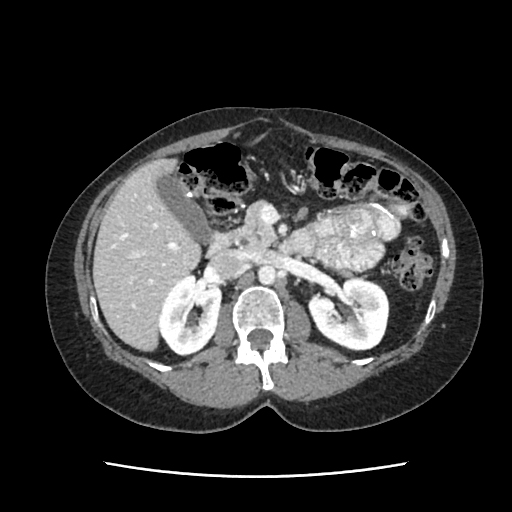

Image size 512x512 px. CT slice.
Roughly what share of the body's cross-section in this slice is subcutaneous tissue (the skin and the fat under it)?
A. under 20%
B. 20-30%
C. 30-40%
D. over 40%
Answer: B. 20-30%
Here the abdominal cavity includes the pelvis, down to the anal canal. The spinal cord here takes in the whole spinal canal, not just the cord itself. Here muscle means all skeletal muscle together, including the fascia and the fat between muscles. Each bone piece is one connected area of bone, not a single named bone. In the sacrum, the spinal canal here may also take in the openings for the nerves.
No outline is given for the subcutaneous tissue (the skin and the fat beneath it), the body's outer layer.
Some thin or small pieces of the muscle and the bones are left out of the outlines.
{"torso":[[[194,434],[227,430],[266,406],[306,431],[366,428],[417,408],[450,382],[479,330],[483,257],[469,212],[433,168],[374,128],[341,114],[304,107],[229,106],[200,111],[159,129],[84,188],[63,216],[45,266],[54,344],[74,380],[102,406],[139,425]]],"spinal_cord":[[[258,348],[264,348],[266,346],[267,346],[268,341],[271,338],[271,333],[270,332],[266,330],[263,330],[262,329],[256,329],[252,331],[249,334],[248,336],[248,338],[249,340],[252,342],[252,344],[253,345],[254,345]]],"abdominal_cavity":[[[161,363],[184,360],[213,345],[221,306],[258,284],[303,306],[311,343],[352,358],[403,344],[423,320],[440,267],[439,240],[418,193],[382,162],[312,143],[270,123],[246,126],[198,150],[142,168],[106,210],[93,241],[89,274],[110,337],[127,351]]],"muscle":[{"outer":[[218,409],[227,409],[233,407],[243,406],[258,397],[261,393],[272,393],[282,399],[288,401],[297,401],[298,402],[299,401],[314,400],[333,396],[342,393],[344,391],[356,386],[369,377],[376,375],[389,367],[407,360],[422,348],[425,339],[434,328],[434,326],[443,310],[445,303],[448,298],[448,294],[454,279],[454,272],[456,265],[456,248],[452,228],[450,224],[450,220],[446,210],[446,207],[440,195],[427,180],[419,173],[415,171],[408,164],[391,154],[375,147],[368,146],[356,141],[352,141],[332,135],[311,132],[309,130],[304,129],[281,118],[276,118],[269,116],[261,116],[238,123],[232,126],[195,134],[174,141],[165,146],[160,147],[150,153],[146,154],[143,157],[129,165],[128,167],[100,190],[91,204],[82,223],[76,242],[75,252],[74,253],[74,262],[73,263],[74,276],[75,277],[75,282],[80,307],[83,314],[90,323],[94,336],[101,344],[105,355],[110,360],[116,362],[126,368],[137,372],[150,382],[175,396],[183,402],[195,406],[202,406],[203,407],[217,408]],"holes":[[[264,390],[273,388],[269,365],[287,362],[284,308],[276,291],[303,306],[311,329],[307,341],[339,350],[353,359],[352,364],[362,366],[406,342],[422,322],[426,325],[432,319],[437,305],[430,298],[440,267],[439,240],[418,193],[405,177],[369,156],[312,143],[270,123],[246,126],[139,170],[122,186],[100,222],[89,274],[94,322],[160,372],[172,369],[166,363],[213,345],[221,306],[235,299],[234,361],[254,364]],[[444,259],[447,259],[449,257],[449,249],[448,248],[448,245],[447,244],[447,240],[446,239],[446,238],[445,237],[443,237],[441,239],[441,255],[442,256],[442,257]]]}],"bones":[{"outer":[[264,390],[273,388],[273,382],[268,371],[269,365],[276,362],[287,362],[284,340],[288,338],[284,332],[284,308],[277,294],[273,290],[258,285],[248,288],[237,298],[233,306],[232,322],[238,336],[233,344],[237,346],[235,363],[254,364],[261,372]],"hole":[[258,348],[264,348],[266,346],[267,346],[268,341],[271,338],[271,333],[270,332],[266,330],[263,330],[262,329],[256,329],[252,331],[249,334],[248,336],[248,338],[249,340],[252,342],[252,344],[253,345],[254,345]]},[[106,335],[107,333],[99,320],[99,315],[98,314],[98,309],[97,308],[97,304],[96,303],[95,296],[94,294],[92,294],[90,296],[90,308],[91,309],[91,314],[92,315],[92,318],[94,322],[97,325],[97,326],[104,333],[104,334]],[[425,325],[426,325],[432,319],[432,318],[435,314],[435,311],[436,310],[436,306],[437,305],[436,304],[436,301],[435,299],[433,298],[430,300],[430,302],[428,305],[428,308],[427,309],[427,311],[426,312],[426,314],[425,315],[425,317],[423,321]],[[160,372],[166,372],[167,371],[170,371],[172,369],[172,367],[171,366],[169,365],[166,365],[165,364],[161,364],[157,362],[154,362],[153,361],[151,361],[150,360],[148,360],[144,358],[144,360],[147,364],[148,364],[151,367],[158,370]],[[358,366],[362,366],[363,365],[365,365],[369,363],[371,361],[372,361],[375,358],[375,357],[374,356],[371,356],[370,357],[367,357],[366,358],[363,358],[362,359],[353,359],[351,360],[350,362],[352,364],[354,364]]]}